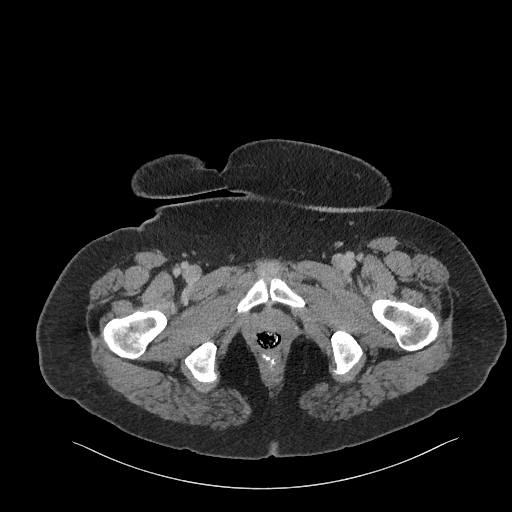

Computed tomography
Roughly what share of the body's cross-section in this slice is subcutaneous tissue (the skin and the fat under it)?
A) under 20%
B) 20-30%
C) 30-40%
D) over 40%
D) over 40%
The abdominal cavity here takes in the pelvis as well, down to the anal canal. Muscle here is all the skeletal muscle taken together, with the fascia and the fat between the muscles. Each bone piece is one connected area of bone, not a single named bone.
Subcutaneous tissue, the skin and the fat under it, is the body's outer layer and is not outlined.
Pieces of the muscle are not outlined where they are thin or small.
The abdominal cavity is outlined by [[267,303],[268,304],[280,303],[288,306],[292,310],[294,315],[301,322],[302,325],[301,329],[292,336],[285,347],[283,357],[281,359],[279,366],[278,378],[267,376],[267,371],[261,357],[248,339],[245,331],[246,322],[250,314],[250,311],[256,306]]. The muscle is outlined by [[392,235],[409,239],[449,271],[453,297],[452,356],[424,384],[362,415],[322,421],[298,405],[302,393],[328,372],[327,356],[303,335],[290,348],[283,385],[275,396],[269,395],[241,333],[234,336],[219,361],[220,384],[245,396],[252,412],[246,422],[222,430],[166,420],[127,401],[102,381],[90,359],[86,325],[90,286],[100,273],[136,251],[156,249],[196,280],[221,266],[261,257],[307,259],[337,268],[371,239]] with holes at [[274,277],[285,281],[305,301],[304,307],[294,308],[292,310],[294,315],[301,322],[302,327],[292,336],[285,347],[279,366],[278,378],[267,376],[267,371],[261,357],[246,335],[246,322],[250,312],[237,312],[238,302],[259,278],[262,278],[268,286]] and at [[380,298],[385,298],[395,301],[405,301],[416,307],[425,307],[427,308],[434,314],[439,323],[438,332],[435,339],[424,347],[414,351],[407,351],[400,347],[396,341],[395,336],[385,326],[379,322],[372,313],[371,310],[371,304],[372,302],[374,300]] and at [[150,309],[156,309],[159,310],[166,316],[167,318],[167,323],[163,330],[148,344],[145,351],[136,359],[124,358],[114,353],[108,347],[104,341],[102,335],[102,331],[106,323],[112,318],[115,317],[123,317],[132,313],[136,310],[144,310],[145,311]] and at [[336,330],[345,330],[347,332],[350,333],[358,342],[363,351],[363,353],[359,360],[346,373],[344,374],[336,374],[334,373],[332,370],[336,366],[335,365],[334,359],[333,358],[333,354],[332,353],[332,348],[331,347],[330,338],[331,337],[331,335]] and at [[209,340],[212,341],[217,347],[214,369],[217,372],[218,375],[217,376],[217,378],[214,381],[208,383],[207,382],[201,382],[197,380],[193,376],[189,369],[186,366],[184,362],[184,359],[185,357],[192,351],[192,350],[202,343]]. The bones appear in 5 outlined pieces: piece 1: [[380,298],[385,298],[395,301],[405,301],[416,307],[425,307],[427,308],[434,314],[439,323],[438,332],[435,339],[424,347],[414,351],[407,351],[400,347],[396,341],[395,336],[385,326],[379,322],[372,313],[371,310],[371,304],[372,302],[374,300]]; piece 2: [[150,309],[156,309],[159,310],[166,316],[167,318],[167,323],[163,330],[148,344],[145,351],[136,359],[124,358],[114,353],[108,347],[104,341],[102,335],[102,331],[106,323],[112,318],[115,317],[123,317],[132,313],[136,310],[144,310],[145,311]]; piece 3: [[274,277],[280,278],[285,281],[292,289],[299,294],[305,301],[304,307],[292,309],[288,305],[280,302],[271,302],[269,299],[266,303],[261,303],[254,306],[248,312],[241,313],[237,312],[238,302],[259,278],[262,278],[268,286],[270,284],[271,279]]; piece 4: [[336,330],[345,330],[347,332],[350,333],[358,342],[363,351],[363,353],[359,360],[346,373],[344,374],[336,374],[334,373],[332,370],[336,366],[335,365],[334,359],[333,358],[333,354],[332,353],[332,348],[331,347],[330,338],[331,337],[331,335]]; piece 5: [[209,340],[212,341],[217,347],[214,369],[217,372],[218,375],[217,376],[217,378],[214,381],[208,383],[207,382],[201,382],[197,380],[193,376],[189,369],[186,366],[184,362],[184,359],[185,357],[192,351],[192,350],[202,343]]. The torso is outlined by [[266,138],[365,160],[392,185],[384,208],[433,219],[461,239],[507,324],[482,386],[361,444],[260,459],[157,444],[56,394],[40,372],[36,326],[76,252],[138,226],[156,206],[239,194],[140,197],[129,186],[133,172],[178,152],[221,170],[236,147]].